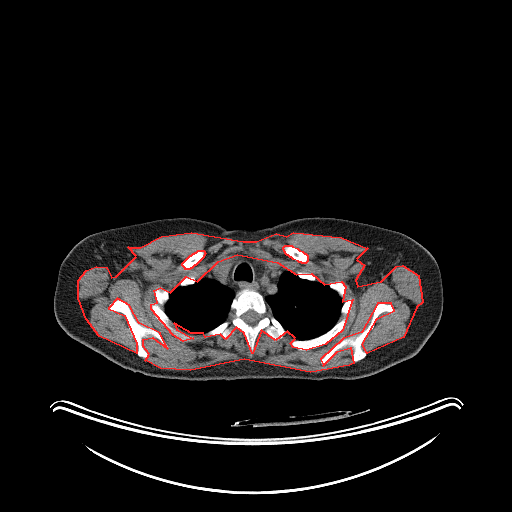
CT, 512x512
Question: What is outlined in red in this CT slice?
Answer: red: muscle.
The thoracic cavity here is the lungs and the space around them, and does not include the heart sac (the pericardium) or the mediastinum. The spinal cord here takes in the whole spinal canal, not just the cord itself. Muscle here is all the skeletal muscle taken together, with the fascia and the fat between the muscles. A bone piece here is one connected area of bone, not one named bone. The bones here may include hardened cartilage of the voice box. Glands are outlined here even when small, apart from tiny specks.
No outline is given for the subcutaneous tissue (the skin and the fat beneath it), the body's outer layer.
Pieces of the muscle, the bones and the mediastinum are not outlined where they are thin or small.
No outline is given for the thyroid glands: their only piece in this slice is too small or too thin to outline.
Outlined structures:
muscle: 191,232 243,241 256,241 276,233 286,236 293,232 341,237 367,248 356,259 364,265 355,280 357,286 381,281 396,266 402,265 418,275 422,302 416,307 403,337 367,353 362,344 377,318 394,310 391,303 377,303 361,332 343,338 320,359 323,365 337,351 350,347 353,363 349,365 310,372 244,359 190,370 160,368 145,360 149,354 143,346 143,339 152,337 167,348 160,333 139,323 129,305 117,298 108,308 124,315 136,343 136,353 99,336 86,319 78,298 78,280 86,270 96,266 106,267 111,277 116,276 136,256 128,247 140,247 161,236; inner edges: 237,254 277,262 296,274 311,273 324,284 341,281 345,286 342,301 352,299 342,330 325,344 306,350 293,347 290,343 295,338 287,331 275,340 261,330 252,353 244,333 236,327 225,339 220,334 205,337 203,333 191,333 174,323 176,329 193,338 183,341 173,335 151,309 151,304 157,302 154,290 160,287 170,292 186,276 197,281 218,261, then 285,245 291,245 292,246 297,248 299,250 302,251 304,253 305,253 307,255 307,261 305,263 302,263 301,262 299,262 298,261 293,259 291,257 290,257 288,255 287,255 285,253 285,252 283,249 283,247, then 198,250 203,250 204,251 204,252 205,253 204,254 204,255 203,256 203,257 195,265 194,265 191,268 190,268 189,269 185,269 185,268 182,265 182,263 190,255 191,255 193,253 194,253 195,252 196,252
thoracic cavity 1: 285,269 295,273 301,279 309,281 317,281 324,284 327,284 341,298 343,302 340,308 339,318 328,330 311,338 298,339 289,333 272,314 264,297 266,295 273,294 277,291 277,283 279,280 279,275
thoracic cavity 2: 202,279 214,279 224,286 229,286 235,291 235,294 230,303 229,313 225,320 204,333 191,333 178,327 166,313 164,309 164,306 169,300 170,292 172,290 179,286 184,287 192,285 196,281
torso: 175,217 211,221 229,230 257,230 303,217 333,217 401,232 425,247 438,264 443,288 441,318 431,336 413,357 357,379 266,378 197,381 152,377 125,369 71,338 58,324 53,301 59,267 72,247 90,234
mediastinum: 237,254 245,254 258,260 271,260 277,262 284,269 278,275 276,291 266,294 264,296 258,290 253,288 245,287 236,291 229,285 224,285 214,278 202,278 208,274 210,269 218,261 224,258 227,258 229,260
spinal cord: 249,310 252,310 253,311 254,311 255,312 256,312 261,317 260,318 260,319 256,323 256,324 255,324 254,325 250,325 248,323 247,323 242,318 242,315 244,313 245,313 246,312 247,312
bones 1: 245,288 256,290 263,296 271,314 286,331 280,339 275,340 264,330 261,330 255,339 252,353 250,353 244,333 236,327 233,328 234,332 227,339 220,334 208,337 204,336 206,332 230,319 230,306 236,292; inner edge: 249,310 252,310 253,311 254,311 255,312 256,312 261,317 260,318 260,319 256,323 256,324 255,324 254,325 250,325 248,323 247,323 242,318 242,315 244,313 245,313 246,312 247,312
bones 2: 382,302 391,304 393,310 390,312 382,312 376,318 372,329 362,341 361,348 366,353 365,357 354,362 352,360 353,348 346,346 337,350 325,363 322,364 321,359 333,346 349,336 357,336 368,326 375,306
bones 3: 117,299 123,300 128,305 133,317 139,324 156,330 167,344 167,347 152,336 145,337 142,339 142,346 147,352 148,357 146,359 140,357 137,354 137,343 129,330 125,315 119,311 112,311 109,308 110,303
bones 4: 348,298 351,298 352,299 352,306 350,311 344,316 346,318 346,323 342,330 337,336 323,345 306,350 297,349 293,347 290,344 291,341 293,339 307,340 317,337 328,331 342,317 341,315 341,308 344,301
bones 5: 157,287 166,289 169,292 169,298 164,304 163,309 165,313 173,323 172,325 179,331 186,334 192,335 193,338 191,340 189,341 183,341 173,335 154,315 150,306 152,303 156,303 157,302 154,295 154,290
bones 6: 285,245 291,245 292,246 297,248 299,250 302,251 304,253 305,253 307,255 307,261 305,263 302,263 301,262 299,262 298,261 293,259 291,257 290,257 288,255 287,255 285,253 285,252 283,249 283,247
bones 7: 198,250 203,250 204,251 204,252 205,253 204,254 204,255 203,256 203,257 195,265 194,265 191,268 190,268 189,269 185,269 185,268 182,265 182,263 190,255 191,255 193,253 194,253 195,252 196,252
bones 8: 338,280 339,281 341,281 344,284 344,285 345,286 345,294 344,295 344,296 342,298 338,294 338,293 335,290 334,290 333,289 332,289 329,286 329,285 328,284 329,283 329,282 330,282 331,281 337,281
bones 9: 186,276 193,276 195,278 195,281 194,282 194,283 193,283 192,284 189,284 188,285 185,285 184,286 181,286 180,285 180,280 181,279 181,278 182,278 183,277 185,277